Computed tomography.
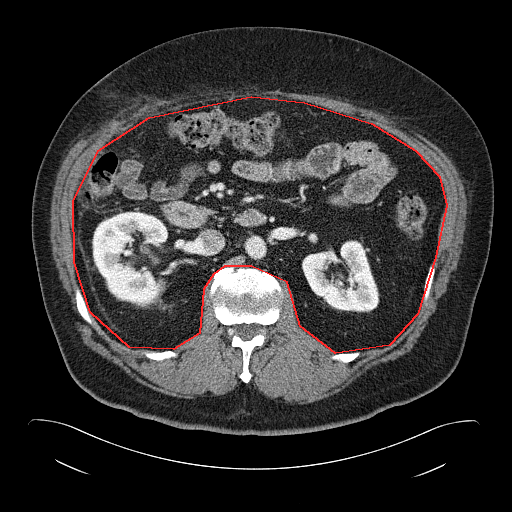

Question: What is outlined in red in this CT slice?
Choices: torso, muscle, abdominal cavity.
Answer: red: abdominal cavity.
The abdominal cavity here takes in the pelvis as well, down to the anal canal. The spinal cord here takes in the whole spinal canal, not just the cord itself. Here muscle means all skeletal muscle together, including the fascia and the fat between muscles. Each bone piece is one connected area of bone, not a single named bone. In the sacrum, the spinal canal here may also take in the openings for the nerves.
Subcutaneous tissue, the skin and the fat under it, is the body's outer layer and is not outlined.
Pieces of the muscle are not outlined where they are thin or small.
Outlines:
abdominal cavity: 251 96; 304 102; 371 123; 415 150; 439 176; 446 205; 435 257; 417 314; 389 345; 335 353; 300 326; 287 282; 251 266; 224 266; 213 274; 203 289; 199 333; 173 349; 129 347; 90 312; 74 262; 73 201; 98 150; 149 117
bones 1: 230 266; 236 269; 251 267; 265 270; 276 278; 283 291; 279 317; 266 327; 267 338; 264 343; 256 346; 251 352; 248 369; 252 375; 247 383; 239 377; 243 366; 242 351; 239 347; 231 345; 227 327; 215 316; 209 296; 214 274; inner edge: 243 323; 244 324; 251 324; 252 323; 256 323; 260 325; 260 328; 259 329; 259 333; 253 336; 250 339; 248 339; 247 340; 244 340; 242 339; 235 333; 235 331; 234 330; 234 328; 233 326; 236 324; 242 324
bones 2: 76 286; 78 286; 81 291; 81 293; 85 301; 85 304; 88 309; 88 312; 92 320; 94 322; 94 325; 92 325; 88 323; 86 321; 85 321; 82 318; 82 317; 78 312; 77 306; 76 305; 76 299; 75 298; 75 288
bones 3: 144 350; 153 350; 154 351; 163 351; 164 350; 172 350; 174 352; 177 353; 177 356; 176 357; 171 357; 170 358; 166 358; 165 359; 163 359; 162 360; 155 360; 154 359; 150 359; 149 358; 148 358; 143 353; 143 351
bones 4: 431 265; 433 265; 435 269; 435 272; 433 276; 433 280; 431 284; 431 287; 429 292; 429 296; 426 301; 426 304; 424 305; 423 304; 423 290; 424 289; 424 284; 425 283; 425 279; 426 278; 426 276; 428 273; 429 267
bones 5: 355 351; 358 351; 360 352; 360 354; 355 359; 354 359; 350 362; 347 362; 346 363; 345 362; 342 362; 338 360; 334 360; 330 358; 330 357; 334 354; 337 354; 338 353; 345 353; 346 352; 354 352
muscle: 240 88; 315 94; 385 114; 439 147; 466 188; 466 226; 456 271; 413 348; 372 367; 341 391; 306 404; 276 402; 248 383; 253 375; 252 352; 265 343; 267 327; 280 317; 284 297; 280 280; 291 291; 299 326; 333 351; 331 360; 346 364; 362 351; 393 343; 430 296; 446 191; 432 166; 392 133; 324 106; 251 95; 149 116; 117 134; 90 160; 72 201; 78 314; 94 326; 90 313; 112 339; 142 349; 150 360; 176 358; 174 348; 200 333; 204 289; 212 278; 208 296; 214 316; 226 327; 230 345; 242 355; 238 377; 244 383; 223 395; 189 399; 162 393; 85 345; 52 256; 52 192; 72 145; 128 106
spinal cord: 243 323; 244 324; 251 324; 252 323; 256 323; 260 325; 260 328; 259 329; 259 333; 253 336; 250 339; 248 339; 247 340; 244 340; 242 339; 235 333; 235 331; 234 330; 234 328; 233 326; 236 324; 242 324
torso: 254 25; 345 35; 414 66; 466 109; 485 140; 493 169; 490 250; 463 353; 452 374; 408 403; 307 433; 237 435; 181 429; 96 400; 73 380; 63 361; 44 307; 31 239; 32 196; 41 160; 62 119; 90 86; 129 58; 169 39